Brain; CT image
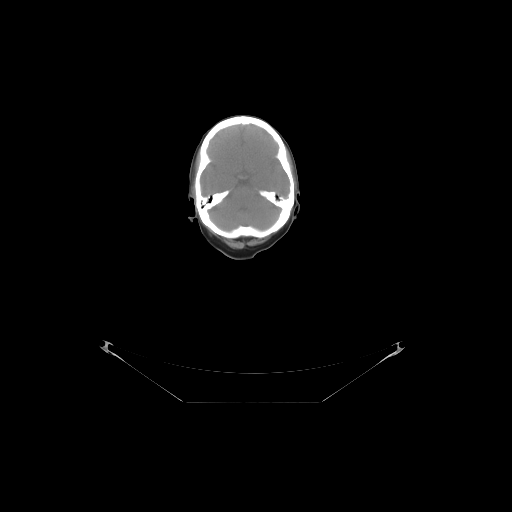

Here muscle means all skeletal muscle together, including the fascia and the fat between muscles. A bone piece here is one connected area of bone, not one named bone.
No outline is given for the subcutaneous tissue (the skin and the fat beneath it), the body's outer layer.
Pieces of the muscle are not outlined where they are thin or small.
The muscle appears in 3 outlined pieces: piece 1: [[205,227],[210,230],[214,234],[216,234],[219,236],[228,239],[236,239],[240,237],[264,238],[273,233],[275,233],[269,239],[261,244],[256,245],[253,247],[250,247],[247,249],[241,249],[239,250],[238,249],[230,248],[214,236],[210,235],[207,229]]; piece 2: [[197,154],[198,155],[198,164],[197,165],[197,167],[195,171],[194,179],[193,180],[193,187],[194,188],[194,197],[193,197],[191,195],[191,185],[192,184],[192,181],[193,180],[193,177],[194,176],[194,165],[195,164],[195,161],[196,160]]; piece 3: [[288,150],[288,152],[290,155],[290,157],[292,161],[292,164],[294,168],[294,174],[295,175],[295,180],[296,181],[296,191],[295,192],[295,194],[295,180],[293,176],[293,173],[292,172],[292,168],[291,167],[291,164],[288,158]]. The bones are outlined by [[238,115],[259,118],[267,122],[275,129],[287,149],[287,158],[294,180],[294,201],[287,221],[277,231],[264,237],[240,236],[236,238],[228,238],[214,233],[203,224],[194,203],[194,180],[199,164],[198,152],[201,143],[207,132],[216,123],[226,118]]; inner edge: [[239,125],[255,126],[271,137],[276,145],[274,156],[287,179],[285,194],[258,190],[260,196],[279,209],[275,219],[263,228],[251,224],[229,229],[220,226],[212,219],[210,210],[230,190],[203,193],[201,179],[212,161],[208,153],[212,139],[220,131]]. The head is outlined by [[234,115],[251,115],[261,118],[285,137],[296,160],[301,190],[300,214],[287,233],[270,248],[245,260],[232,259],[213,249],[201,234],[197,221],[195,219],[190,222],[187,218],[195,211],[193,202],[187,200],[188,173],[195,147],[207,130],[220,120]]. The brain is outlined by [[239,125],[255,126],[271,137],[276,145],[274,156],[287,179],[285,194],[258,190],[260,196],[279,209],[275,219],[263,228],[251,224],[229,229],[220,226],[212,219],[210,210],[230,190],[203,193],[201,179],[212,161],[208,153],[212,139],[220,131]].